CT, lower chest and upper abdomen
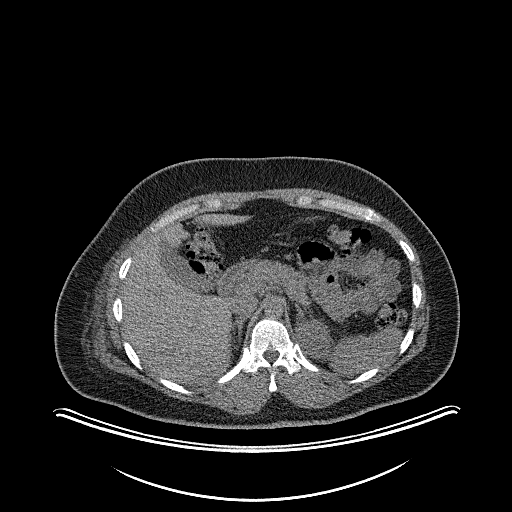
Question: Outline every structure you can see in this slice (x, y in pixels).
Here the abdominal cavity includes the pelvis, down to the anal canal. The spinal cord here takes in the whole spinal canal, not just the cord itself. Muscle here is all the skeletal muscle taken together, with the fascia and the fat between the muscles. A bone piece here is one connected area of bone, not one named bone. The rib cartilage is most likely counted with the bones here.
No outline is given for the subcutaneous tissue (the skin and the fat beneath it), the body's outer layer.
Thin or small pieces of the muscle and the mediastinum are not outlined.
Answer: {"torso":[[[268,156],[333,158],[361,166],[387,182],[430,229],[449,261],[459,297],[457,345],[441,379],[417,397],[352,418],[329,424],[267,429],[221,429],[168,423],[75,391],[64,378],[56,358],[56,304],[73,264],[118,202],[144,177],[176,162],[206,157]]],"abdominal_cavity":[[[256,198],[345,212],[379,226],[397,242],[408,260],[413,305],[409,327],[387,359],[354,377],[316,365],[291,339],[285,303],[274,298],[258,312],[237,362],[216,379],[185,387],[142,363],[122,320],[124,279],[132,260],[156,232],[176,220],[237,208]]],"bones":[{"outer":[[264,318],[281,322],[290,339],[298,343],[302,353],[319,371],[301,366],[290,374],[284,366],[278,366],[274,376],[277,389],[272,392],[270,373],[262,366],[255,372],[241,370],[226,382],[217,383],[217,379],[238,362],[243,347],[249,344],[252,328]],"hole":[[267,350],[274,350],[275,351],[277,351],[278,352],[278,356],[275,359],[275,360],[274,360],[272,362],[270,362],[269,361],[268,361],[263,356],[263,354]]},[[300,195],[310,195],[315,199],[329,198],[351,205],[357,205],[360,207],[369,207],[373,209],[380,216],[381,220],[378,222],[370,222],[363,219],[360,219],[353,214],[337,209],[326,209],[318,207],[302,207],[298,206],[296,204],[295,200]],[[211,198],[218,198],[222,202],[222,204],[219,208],[210,210],[200,208],[193,213],[176,219],[155,232],[152,232],[150,230],[150,227],[154,223],[157,222],[162,217],[170,214],[173,211],[183,207],[189,206],[192,204],[196,203],[201,204],[204,200]],[[125,341],[127,341],[131,345],[131,346],[135,351],[136,354],[138,356],[141,362],[141,365],[142,366],[142,369],[141,370],[137,368],[131,362],[131,361],[127,356],[125,352],[125,350],[124,349],[124,346],[123,345],[123,343]],[[159,377],[162,377],[167,380],[170,380],[177,384],[179,384],[183,386],[188,390],[192,391],[192,394],[188,395],[187,394],[184,394],[183,393],[181,393],[180,392],[178,392],[177,391],[175,391],[172,389],[168,388],[166,386],[162,384],[159,381]],[[375,367],[378,367],[378,371],[373,376],[372,376],[370,378],[369,378],[366,380],[364,380],[361,382],[356,382],[355,383],[348,383],[348,381],[350,379],[353,379],[355,377],[358,376],[360,374],[361,374],[362,373],[363,373],[372,368],[374,368]],[[409,328],[412,328],[414,330],[414,333],[413,334],[413,338],[412,339],[410,344],[406,349],[406,350],[402,354],[399,354],[399,348],[400,347],[400,344],[401,343],[402,340],[404,338],[404,337],[405,336],[405,335],[406,334],[406,333]],[[412,282],[415,282],[416,283],[417,283],[419,285],[419,286],[420,287],[420,289],[421,290],[421,299],[420,300],[420,303],[419,304],[419,306],[418,307],[415,307],[415,306],[413,304],[413,303],[412,302]],[[117,297],[119,297],[121,299],[121,306],[122,307],[122,315],[121,316],[122,317],[122,319],[121,320],[121,321],[120,322],[118,322],[116,320],[116,319],[115,318],[115,317],[114,316],[114,314],[113,313],[113,302],[114,301],[114,300]],[[128,257],[131,257],[132,258],[132,259],[131,260],[131,263],[129,266],[129,268],[127,271],[127,273],[126,274],[125,277],[123,279],[120,279],[120,278],[118,275],[118,272],[119,271],[120,266],[123,262],[123,261],[126,258],[127,258]],[[399,240],[402,240],[403,241],[406,242],[408,244],[408,245],[411,248],[411,249],[413,252],[413,254],[414,255],[414,261],[413,261],[412,262],[409,261],[409,260],[407,258],[406,255],[404,253],[402,248],[399,245],[399,244],[398,243],[398,241]]],"muscle":[[[295,187],[331,192],[368,206],[300,194],[294,200],[296,205],[256,197],[237,207],[221,208],[223,202],[211,197],[175,209],[149,227],[155,233],[133,258],[126,257],[119,266],[117,275],[123,280],[121,298],[117,296],[112,302],[115,320],[123,322],[127,340],[122,345],[130,362],[140,371],[143,364],[159,376],[162,385],[188,396],[193,391],[187,388],[214,380],[221,385],[241,371],[255,373],[260,367],[269,373],[268,390],[272,393],[278,389],[275,379],[278,367],[284,367],[290,375],[301,367],[315,373],[322,368],[341,378],[353,378],[348,384],[370,379],[379,371],[378,365],[398,350],[402,355],[411,344],[415,333],[410,327],[412,310],[413,306],[420,306],[422,299],[421,287],[411,277],[409,262],[415,261],[412,248],[402,239],[396,241],[374,223],[382,220],[375,210],[400,228],[420,258],[430,309],[427,340],[419,353],[380,382],[329,406],[298,407],[276,394],[257,413],[243,415],[168,396],[102,366],[93,356],[93,339],[106,315],[110,267],[128,240],[166,209],[189,197],[214,191]]],"mediastinum":[[[274,299],[277,299],[280,301],[282,301],[284,303],[284,321],[285,322],[285,324],[286,325],[286,327],[286,326],[285,325],[281,321],[271,318],[270,317],[264,317],[258,320],[252,327],[254,323],[254,321],[259,314],[259,312],[262,309],[262,307],[264,306],[266,302]]],"spinal_cord":[[[267,350],[274,350],[275,351],[277,351],[278,352],[278,356],[275,359],[275,360],[274,360],[272,362],[270,362],[269,361],[268,361],[263,356],[263,354]]]}